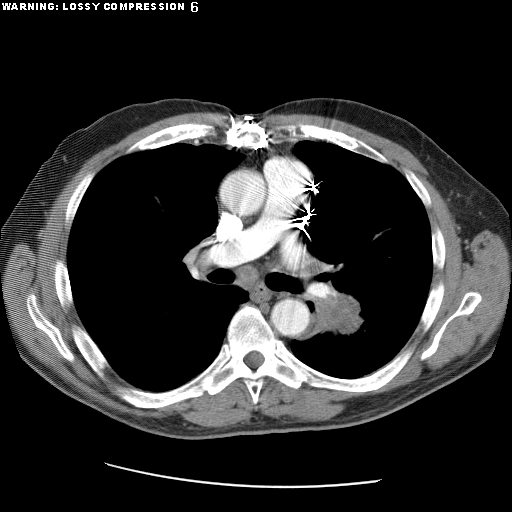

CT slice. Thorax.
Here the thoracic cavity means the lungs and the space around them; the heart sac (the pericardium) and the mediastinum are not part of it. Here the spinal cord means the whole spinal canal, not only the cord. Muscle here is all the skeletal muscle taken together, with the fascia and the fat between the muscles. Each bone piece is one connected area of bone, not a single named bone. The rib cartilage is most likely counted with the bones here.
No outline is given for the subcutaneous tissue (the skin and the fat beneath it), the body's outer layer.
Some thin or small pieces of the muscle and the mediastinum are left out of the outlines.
The bones appear in 11 outlined pieces: piece 1: 245,303 259,310 274,336 300,361 329,376 359,378 409,346 414,350 374,390 306,382 293,388 265,376 255,405 239,377 212,395 205,391 162,407 136,407 116,394 117,387 157,393 185,384 217,356 231,318; inner edge: 252,351 257,351 258,352 259,352 263,356 263,361 262,362 262,363 259,366 258,366 256,368 255,368 254,369 253,368 251,368 250,367 249,367 244,362 244,358 245,357 245,356 248,353 249,353; piece 2: 252,121 259,122 266,129 281,124 303,123 341,131 363,141 382,154 391,164 380,162 335,143 318,139 299,139 296,141 285,139 276,143 269,142 267,145 259,147 230,147 224,143 224,131 232,122 245,123; piece 3: 190,122 206,123 213,125 217,132 216,136 210,136 205,138 197,138 191,140 184,140 164,145 160,147 157,147 153,149 145,149 124,154 124,152 138,140 160,129 172,125 176,125 180,123 189,123; piece 4: 74,324 77,324 84,328 89,336 103,354 108,363 110,365 110,367 111,368 106,368 104,370 104,378 103,379 101,378 92,369 82,354 79,351 76,344 74,342 74,340 72,336 72,332 71,331 72,325; piece 5: 30,293 33,293 35,295 36,303 42,314 49,321 57,327 60,331 63,341 73,354 74,357 73,361 69,361 63,357 56,348 49,336 44,331 38,328 35,325 28,312 27,306 26,305 26,299 27,296; piece 6: 469,291 477,291 481,295 480,302 471,313 467,315 459,315 453,318 447,324 444,331 442,333 437,349 435,352 430,356 422,360 420,358 420,356 423,351 431,344 435,334 439,330 447,318 456,310 464,294; piece 7: 440,280 443,282 443,284 444,285 443,297 442,298 439,309 435,316 434,320 432,322 427,331 426,332 423,332 422,329 419,327 418,328 417,326 419,323 422,312 424,309 424,307 429,294 429,291 431,287; piece 8: 58,259 62,259 66,263 67,272 68,273 68,278 69,279 69,284 70,285 71,294 73,299 73,305 67,307 65,310 62,308 60,304 55,288 55,280 54,279 54,270 55,269 54,267 55,266 55,263; piece 9: 91,171 94,171 95,172 95,174 91,180 90,183 88,185 79,203 79,205 73,218 71,226 70,228 68,229 65,223 65,213 66,212 66,208 67,207 68,201 74,189 78,183 88,172 90,172; piece 10: 435,226 437,226 440,229 442,233 442,235 444,239 444,243 445,244 445,259 444,260 444,264 443,265 443,268 441,270 440,269 438,269 433,265 433,255 432,254 432,238 431,237 431,229; piece 11: 404,168 411,170 421,181 421,182 427,190 428,194 430,197 430,200 431,201 431,205 430,206 428,207 425,207 422,201 420,199 416,192 413,189 413,188 409,183 408,180 404,175 404,173 403,172 403,169. The spinal cord is outlined by 252,351 257,351 258,352 259,352 263,356 263,361 262,362 262,363 259,366 258,366 256,368 255,368 254,369 253,368 251,368 250,367 249,367 244,362 244,358 245,357 245,356 248,353 249,353. The thoracic cavity appears in 2 outlined pieces: piece 1: 184,141 216,144 244,155 218,184 214,197 217,223 207,254 214,270 233,273 231,284 246,291 248,298 230,318 225,341 213,360 185,383 154,392 120,377 83,326 70,284 68,240 80,203 105,166 123,155; piece 2: 301,140 325,141 391,165 405,177 421,201 430,226 433,267 418,323 392,359 355,378 319,371 289,349 294,340 310,338 316,327 314,312 307,304 309,288 318,274 309,250 308,232 316,184 310,168 294,152. The torso is outlined by 318,96 359,101 405,118 505,207 511,237 510,291 495,347 485,362 413,403 365,423 326,430 182,439 116,421 66,395 23,361 4,304 1,230 40,165 64,137 122,106 162,98 217,102 238,114 248,114. The muscle is outlined by 189,112 220,112 232,116 234,118 249,120 259,120 264,116 278,113 303,113 321,115 326,117 335,118 353,124 385,137 409,150 427,170 428,172 427,178 435,186 447,203 455,221 460,226 459,236 462,241 471,240 476,234 487,229 501,236 505,242 509,254 509,259 511,262 511,281 510,282 510,291 503,322 494,331 489,339 477,351 469,356 465,361 455,366 443,375 428,382 423,380 417,380 389,392 383,392 371,396 357,397 341,412 325,420 318,421 285,421 282,420 281,421 253,422 227,428 206,427 186,421 177,415 161,418 144,416 138,417 126,412 119,412 115,409 110,408 91,399 77,390 49,367 34,357 21,342 16,333 9,313 4,287 4,268 6,261 14,244 19,242 25,242 31,246 35,246 37,244 36,233 37,230 44,224 46,211 50,208 56,196 65,184 87,159 104,148 118,142 139,128 163,118 with holes at 252,121 341,131 403,175 404,168 415,174 430,197 430,228 445,244 430,283 443,282 439,309 401,349 414,345 403,367 374,390 293,388 265,376 255,405 239,377 212,395 136,407 116,394 130,384 112,368 101,378 79,351 71,328 83,324 56,292 55,263 67,262 68,201 88,172 160,129 211,124 217,134 205,138 223,143 232,122 and at 30,293 33,293 35,295 36,303 42,314 49,321 57,327 60,331 63,341 73,354 74,357 73,361 69,361 63,357 56,348 49,336 44,331 38,328 35,325 28,312 27,306 26,305 26,299 27,296 and at 469,291 477,291 481,295 480,302 471,313 467,315 459,315 453,318 447,324 444,331 442,333 437,349 435,352 430,356 422,360 420,358 420,356 423,351 431,344 435,334 439,330 447,318 456,310 464,294. The mediastinum is outlined by 197,139 223,143 225,145 230,148 285,140 296,142 294,154 313,175 307,232 317,274 306,304 315,327 310,337 294,339 289,348 260,310 246,302 248,292 232,284 234,273 210,263 217,190 245,155 233,148 230,149 216,143 198,143 194,144 190,141.